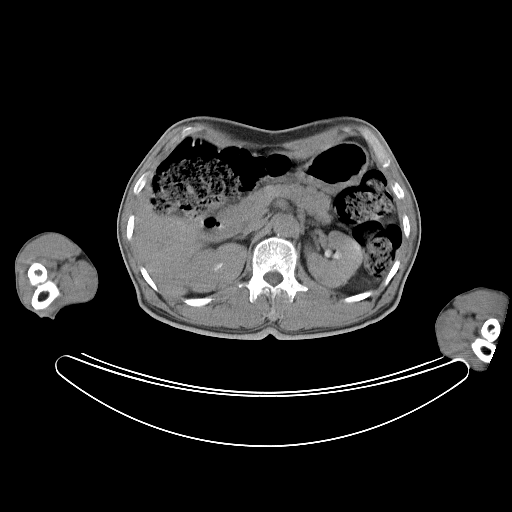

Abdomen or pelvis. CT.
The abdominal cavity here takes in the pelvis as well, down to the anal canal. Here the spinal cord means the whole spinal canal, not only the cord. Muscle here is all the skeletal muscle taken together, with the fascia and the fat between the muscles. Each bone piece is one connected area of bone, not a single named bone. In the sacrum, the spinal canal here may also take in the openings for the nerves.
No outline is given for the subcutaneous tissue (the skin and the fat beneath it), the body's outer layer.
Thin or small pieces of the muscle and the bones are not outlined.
{"muscle":[[[193,122],[207,123],[235,138],[255,143],[286,142],[339,124],[366,126],[357,128],[360,135],[351,134],[317,149],[223,145],[190,134],[202,129],[203,124],[183,126],[169,140],[171,146],[182,138],[174,148],[155,165],[148,178],[150,173],[145,171],[134,183],[132,192],[138,195],[141,191],[141,195],[125,226],[126,239],[132,238],[141,264],[139,271],[156,292],[182,298],[188,306],[201,307],[214,299],[211,295],[237,281],[250,263],[250,277],[237,286],[248,290],[251,303],[261,294],[272,301],[282,291],[291,303],[298,292],[308,290],[295,276],[298,259],[314,282],[346,296],[342,299],[345,303],[368,298],[381,284],[385,287],[400,266],[398,254],[404,236],[410,235],[411,225],[406,213],[400,220],[397,199],[405,197],[403,188],[397,181],[390,185],[371,148],[383,168],[391,164],[389,155],[393,159],[410,195],[416,221],[411,254],[390,302],[356,322],[311,331],[285,331],[275,321],[251,330],[198,325],[150,304],[144,298],[122,240],[122,213],[129,189],[154,149],[170,131]],[[48,233],[65,238],[81,251],[94,275],[94,288],[87,298],[65,303],[52,312],[39,310],[45,309],[60,295],[57,284],[48,277],[47,268],[41,262],[33,261],[26,270],[28,281],[34,287],[31,306],[21,295],[17,269],[17,260],[24,248]],[[477,290],[495,292],[508,301],[503,326],[501,328],[501,324],[496,317],[488,317],[480,327],[480,335],[470,343],[471,350],[477,358],[487,364],[484,369],[478,365],[473,365],[463,356],[446,354],[437,334],[437,327],[443,313],[450,309],[458,298]]],"left_arm":[[[476,286],[487,286],[496,288],[504,291],[508,295],[508,304],[504,323],[500,330],[498,341],[495,346],[493,355],[486,369],[483,371],[473,370],[468,366],[465,361],[459,359],[450,359],[448,357],[442,356],[434,335],[435,320],[444,305],[457,294]]],"abdominal_cavity":[[[188,135],[229,147],[297,150],[317,150],[351,135],[361,136],[397,198],[403,234],[397,256],[382,282],[351,295],[337,293],[307,274],[289,239],[272,235],[255,244],[251,262],[237,280],[212,294],[183,298],[161,291],[134,249],[135,214],[156,165]]],"right_arm":[[[46,230],[54,230],[71,238],[81,247],[90,258],[98,274],[98,287],[94,297],[85,303],[74,304],[65,307],[57,314],[54,319],[48,317],[39,317],[35,313],[26,309],[22,305],[16,293],[14,278],[14,260],[18,250],[27,239],[37,233]]],"bones":[{"outer":[[272,236],[289,240],[294,245],[298,253],[294,276],[307,287],[307,290],[298,291],[291,302],[287,294],[282,290],[272,300],[269,296],[261,293],[251,302],[249,300],[249,290],[245,286],[239,287],[238,284],[247,281],[252,275],[252,254],[256,244]],"hole":[[272,271],[276,271],[277,272],[278,272],[281,275],[281,276],[282,277],[282,279],[278,283],[277,283],[274,285],[273,285],[272,284],[271,284],[270,283],[269,283],[267,281],[266,281],[264,279],[264,275],[266,273],[267,273],[268,272],[271,272]]},[[33,262],[39,262],[46,268],[47,270],[47,277],[56,284],[59,290],[59,295],[58,295],[45,308],[43,309],[35,309],[31,304],[31,297],[32,296],[32,294],[34,291],[35,287],[33,286],[29,281],[29,279],[27,275],[27,270],[29,266]],[[490,317],[496,318],[498,320],[501,329],[498,337],[493,342],[496,345],[495,346],[495,349],[493,355],[490,361],[487,363],[482,361],[478,358],[472,350],[471,343],[477,337],[479,337],[481,335],[480,332],[481,327],[483,323]],[[359,127],[367,127],[372,132],[378,136],[379,138],[381,139],[381,141],[385,144],[385,146],[387,147],[387,149],[389,151],[389,154],[388,155],[390,159],[390,164],[387,167],[383,167],[381,165],[380,162],[378,161],[373,149],[360,134],[358,130]],[[193,124],[195,125],[203,125],[203,127],[202,128],[200,128],[195,131],[193,131],[191,133],[183,137],[181,137],[173,144],[171,145],[169,145],[170,140],[175,135],[179,133],[181,131],[183,127],[185,126],[189,126]],[[208,296],[209,296],[210,297],[212,297],[213,298],[213,299],[210,302],[209,302],[208,303],[207,303],[204,305],[202,305],[201,306],[192,306],[191,305],[188,305],[187,304],[186,304],[183,301],[183,299],[184,298],[200,298],[201,297],[207,297]],[[368,290],[372,290],[372,294],[366,298],[364,298],[358,301],[354,301],[353,302],[345,302],[343,301],[343,299],[347,296],[351,296],[352,295],[354,295],[355,294],[358,294],[359,293],[361,293],[362,292],[364,292]],[[145,172],[148,172],[149,173],[149,174],[147,177],[147,181],[146,182],[145,185],[142,188],[142,189],[140,191],[140,192],[138,194],[135,194],[133,192],[133,187],[134,186],[135,183],[137,181],[137,180],[140,177],[140,176],[143,173],[144,173]],[[397,257],[399,260],[399,266],[398,267],[396,272],[394,274],[394,275],[391,278],[391,279],[389,281],[389,282],[385,286],[384,286],[382,283],[383,282],[384,279],[386,277],[388,272],[390,270],[390,269],[391,268],[391,267],[394,262],[394,260]],[[131,214],[132,214],[133,215],[134,215],[134,225],[133,226],[133,233],[132,233],[131,234],[131,239],[130,240],[128,240],[127,239],[127,237],[126,236],[126,226],[127,225],[127,221],[128,220],[128,218],[129,217],[129,216]],[[404,214],[406,214],[406,215],[408,217],[408,219],[409,220],[409,224],[410,225],[410,232],[409,233],[409,235],[408,236],[408,237],[405,237],[405,236],[404,235],[404,234],[403,233],[403,231],[402,230],[402,217],[403,216],[403,215]],[[141,266],[143,266],[145,268],[145,269],[147,271],[147,272],[148,273],[149,276],[151,278],[151,279],[154,282],[155,285],[157,287],[157,288],[158,289],[158,291],[156,291],[145,280],[145,279],[143,277],[143,276],[140,271],[140,267]],[[394,182],[397,182],[399,184],[399,185],[402,188],[402,189],[403,190],[403,192],[404,193],[404,197],[403,198],[402,198],[401,199],[399,199],[395,195],[395,194],[394,193],[394,192],[392,190],[392,189],[391,188],[391,187],[390,186]]],"torso":[[[194,115],[215,115],[265,129],[283,129],[335,115],[359,117],[374,125],[408,179],[421,217],[419,248],[396,307],[380,320],[349,332],[290,340],[270,334],[253,340],[202,335],[164,323],[141,309],[118,244],[118,209],[130,176],[152,145],[170,125]]],"spinal_cord":[[[272,271],[276,271],[277,272],[278,272],[281,275],[281,276],[282,277],[282,279],[278,283],[277,283],[274,285],[273,285],[272,284],[271,284],[270,283],[269,283],[267,281],[266,281],[264,279],[264,275],[266,273],[267,273],[268,272],[271,272]]]}